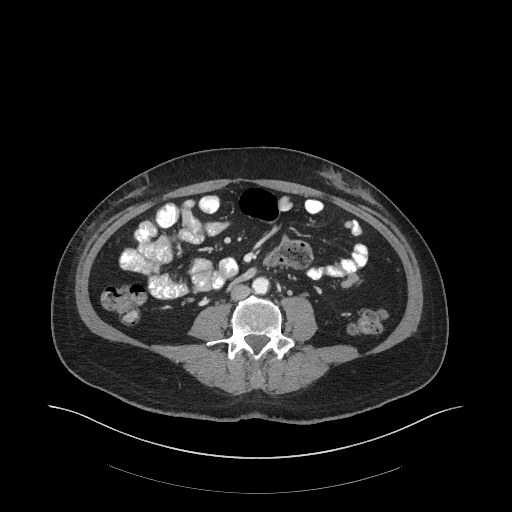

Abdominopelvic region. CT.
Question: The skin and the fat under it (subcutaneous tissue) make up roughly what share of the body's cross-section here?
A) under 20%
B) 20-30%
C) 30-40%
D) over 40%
Answer: C) 30-40%
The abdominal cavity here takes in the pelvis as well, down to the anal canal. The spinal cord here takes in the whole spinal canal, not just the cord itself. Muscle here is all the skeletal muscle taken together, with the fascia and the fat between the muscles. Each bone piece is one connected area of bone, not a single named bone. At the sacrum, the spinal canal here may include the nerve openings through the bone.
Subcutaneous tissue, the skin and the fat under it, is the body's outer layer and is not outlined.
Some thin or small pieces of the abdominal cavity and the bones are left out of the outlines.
{"abdominal_cavity":[[[359,351],[382,341],[401,319],[405,273],[377,230],[316,196],[233,182],[171,198],[116,230],[90,271],[90,300],[99,316],[149,344],[197,341],[187,331],[203,308],[223,301],[230,317],[253,293],[277,304],[304,295],[318,324],[310,341],[349,343]]],"torso":[[[288,424],[315,424],[380,407],[421,389],[437,374],[447,349],[449,318],[441,273],[422,235],[381,190],[363,177],[322,157],[278,146],[190,152],[159,163],[119,185],[80,223],[57,265],[50,327],[63,365],[84,383],[146,411],[217,422],[261,418]]],"spinal_cord":[[[256,352],[257,352],[269,340],[269,339],[266,336],[264,336],[263,335],[262,336],[257,336],[256,335],[248,335],[247,336],[246,336],[245,337],[245,340],[253,348],[253,349]]],"muscle":[{"outer":[[274,397],[282,397],[299,393],[307,389],[310,385],[335,366],[356,358],[361,358],[368,355],[372,355],[382,352],[406,339],[417,330],[423,307],[422,278],[417,259],[410,245],[399,229],[388,218],[374,209],[365,205],[326,193],[319,189],[307,185],[280,179],[264,179],[263,178],[262,179],[251,179],[242,177],[238,177],[233,179],[229,178],[211,179],[185,185],[168,191],[160,196],[152,199],[130,205],[115,213],[100,223],[94,230],[90,239],[87,242],[81,254],[75,271],[74,295],[76,308],[80,318],[88,329],[94,334],[109,341],[129,344],[165,357],[173,362],[179,368],[193,376],[199,382],[220,394],[223,395],[240,395],[254,389],[261,389],[267,395]],"hole":[[230,360],[270,350],[280,360],[294,346],[277,304],[293,295],[312,304],[315,345],[373,347],[405,309],[397,254],[327,200],[253,183],[171,198],[132,218],[92,265],[96,312],[146,343],[189,343],[196,315],[226,302],[232,333],[206,345],[225,342]]}],"bones":[{"outer":[[230,360],[243,351],[252,359],[258,360],[270,350],[280,360],[294,346],[294,340],[282,333],[283,317],[279,306],[269,299],[257,297],[253,294],[238,302],[230,318],[231,335],[226,338],[206,342],[206,345],[225,342],[227,344],[227,358]],"hole":[[256,352],[257,352],[269,340],[269,339],[266,336],[264,336],[263,335],[262,336],[257,336],[256,335],[248,335],[247,336],[246,336],[245,337],[245,340],[253,348],[253,349]]}]}